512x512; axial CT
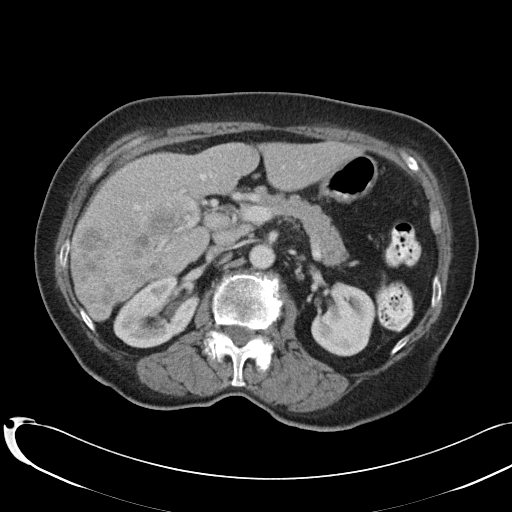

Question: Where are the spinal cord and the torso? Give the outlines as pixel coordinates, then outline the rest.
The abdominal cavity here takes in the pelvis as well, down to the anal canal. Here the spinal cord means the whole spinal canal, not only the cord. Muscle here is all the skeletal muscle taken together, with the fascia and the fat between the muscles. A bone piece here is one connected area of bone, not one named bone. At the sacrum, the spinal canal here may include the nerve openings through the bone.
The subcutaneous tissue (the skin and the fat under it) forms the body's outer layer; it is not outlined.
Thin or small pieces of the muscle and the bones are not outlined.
Answer: {"spinal_cord":[[[227,326],[238,326],[239,327],[242,327],[248,330],[253,331],[254,332],[254,337],[250,339],[244,344],[242,345],[238,345],[236,344],[232,340],[232,339],[227,334],[225,333],[224,330],[225,329],[225,327]]],"torso":[[[234,91],[307,93],[399,111],[437,130],[464,166],[479,240],[472,291],[436,375],[398,411],[350,429],[315,431],[285,424],[239,395],[204,407],[143,407],[84,371],[52,323],[35,277],[34,235],[50,181],[68,151],[94,123],[127,102],[158,95]]],"bones":[{"outer":[[256,272],[272,273],[282,285],[279,292],[283,300],[281,315],[265,332],[274,350],[265,371],[260,371],[255,361],[247,358],[242,367],[245,384],[233,386],[230,383],[231,357],[225,355],[218,361],[204,351],[206,333],[216,328],[212,296],[223,276]],"hole":[[227,326],[238,326],[239,327],[242,327],[248,330],[253,331],[254,332],[254,337],[250,339],[244,344],[242,345],[238,345],[236,344],[232,340],[232,339],[227,334],[225,333],[224,330],[225,329],[225,327]]},[[435,275],[437,275],[438,276],[438,277],[439,278],[439,281],[440,282],[440,285],[441,286],[441,298],[440,299],[440,300],[437,303],[437,304],[434,307],[432,307],[431,306],[431,297],[432,296],[432,281],[433,280],[433,278],[434,277],[434,276]],[[66,239],[69,239],[69,251],[68,252],[68,255],[67,256],[67,263],[66,264],[66,267],[63,267],[62,266],[61,266],[61,265],[60,264],[60,262],[59,261],[59,253],[60,252],[60,248],[61,247],[61,246],[62,245],[62,244]],[[108,157],[107,159],[107,161],[106,162],[107,163],[106,164],[106,166],[105,168],[102,171],[100,175],[95,180],[93,181],[91,181],[89,179],[89,176],[93,168],[99,162],[104,160]],[[406,154],[407,155],[409,155],[410,156],[412,156],[416,160],[416,161],[418,164],[418,166],[419,167],[419,169],[418,170],[417,170],[416,171],[414,171],[409,168],[409,167],[407,165],[407,164],[406,163],[406,162],[403,157],[403,156]],[[80,308],[82,308],[84,310],[84,311],[87,314],[87,315],[90,318],[90,319],[94,324],[94,325],[95,326],[95,330],[94,331],[91,330],[82,319],[82,317],[81,316],[81,315],[80,314],[80,312],[79,311]],[[405,336],[407,336],[408,337],[408,340],[407,341],[407,342],[400,349],[399,349],[395,353],[394,353],[393,354],[390,354],[390,350],[393,347],[393,346],[401,338],[402,338],[403,337],[404,337]]],"abdominal_cavity":[[[268,130],[356,142],[419,183],[437,265],[430,305],[418,323],[367,367],[338,371],[298,339],[298,307],[276,274],[238,272],[223,275],[214,290],[205,291],[195,328],[165,349],[137,355],[106,341],[76,300],[67,264],[74,223],[98,180],[162,146]]],"muscle":[{"outer":[[203,121],[347,127],[419,152],[437,178],[452,231],[452,257],[440,314],[429,332],[407,355],[363,380],[327,407],[293,411],[286,405],[267,403],[244,387],[243,367],[247,359],[252,359],[260,372],[265,372],[271,364],[274,343],[266,332],[282,315],[281,289],[291,296],[297,307],[293,327],[301,345],[311,356],[343,373],[363,370],[389,351],[390,355],[395,354],[408,342],[407,335],[428,308],[434,308],[442,298],[440,278],[435,274],[438,246],[434,235],[441,231],[440,211],[437,208],[429,211],[428,200],[419,182],[393,161],[356,141],[311,137],[283,130],[245,130],[144,151],[108,170],[97,180],[79,209],[70,237],[61,244],[58,261],[63,268],[67,265],[71,291],[80,307],[81,319],[110,345],[133,355],[161,352],[193,331],[204,294],[212,290],[210,310],[215,328],[205,333],[203,351],[218,362],[225,356],[230,357],[231,386],[207,396],[190,392],[164,394],[149,388],[140,382],[133,369],[118,364],[97,348],[56,285],[55,242],[70,195],[88,164],[120,136],[135,129],[162,129]],"holes":[[[108,157],[107,159],[107,161],[106,162],[107,163],[106,164],[106,166],[105,168],[102,171],[100,175],[95,180],[93,181],[91,181],[89,179],[89,176],[93,168],[99,162],[104,160]],[[406,154],[407,155],[409,155],[410,156],[412,156],[416,160],[416,161],[418,164],[418,166],[419,167],[419,169],[418,170],[417,170],[416,171],[414,171],[409,168],[409,167],[407,165],[407,164],[406,163],[406,162],[403,157],[403,156]]]}]}